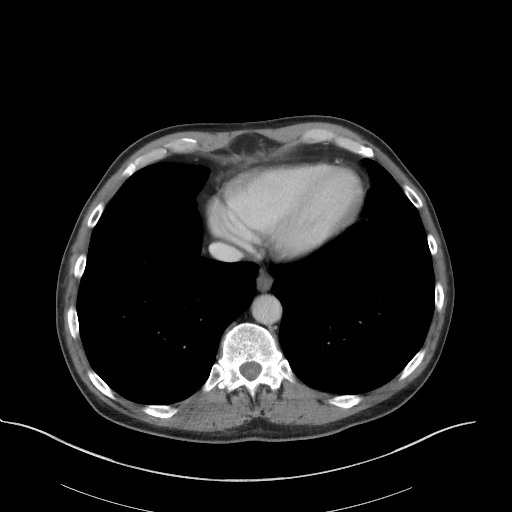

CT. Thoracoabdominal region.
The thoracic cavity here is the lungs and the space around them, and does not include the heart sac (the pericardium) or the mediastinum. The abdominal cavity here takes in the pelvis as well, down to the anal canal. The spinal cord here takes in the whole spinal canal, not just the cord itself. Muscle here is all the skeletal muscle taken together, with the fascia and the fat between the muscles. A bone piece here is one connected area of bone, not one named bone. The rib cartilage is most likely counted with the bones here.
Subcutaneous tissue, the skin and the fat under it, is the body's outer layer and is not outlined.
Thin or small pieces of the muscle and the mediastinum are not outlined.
The torso is outlined by 304 114; 342 117; 375 133; 397 154; 431 200; 451 260; 455 299; 441 355; 425 383; 404 404; 382 417; 306 440; 188 442; 132 430; 98 414; 78 389; 62 355; 55 326; 55 290; 61 258; 74 224; 107 168; 131 143; 167 126. The thoracic cavity appears in 2 outlined pieces: piece 1: 161 161; 201 165; 209 169; 193 200; 202 227; 199 255; 225 263; 252 262; 257 265; 257 274; 254 295; 248 306; 224 329; 219 356; 200 388; 176 403; 143 404; 114 391; 92 368; 80 337; 76 306; 92 231; 106 206; 126 179; piece 2: 366 158; 375 160; 390 174; 419 214; 431 256; 434 309; 421 347; 397 375; 363 393; 333 394; 312 388; 299 379; 280 347; 278 338; 283 306; 272 291; 275 278; 270 265; 299 262; 366 219; 363 211; 368 191; 372 188. The muscle is outlined by 303 122; 328 122; 329 123; 338 124; 346 127; 360 135; 364 139; 379 148; 388 156; 419 190; 425 200; 427 208; 440 240; 441 248; 443 253; 443 258; 445 263; 447 284; 448 285; 448 291; 447 292; 447 298; 448 299; 446 304; 443 325; 434 353; 425 368; 410 383; 388 398; 349 416; 335 421; 318 425; 301 425; 300 424; 298 425; 292 425; 291 424; 285 425; 284 424; 273 423; 262 418; 254 418; 242 425; 233 428; 229 428; 223 431; 218 430; 217 431; 205 432; 204 431; 186 430; 178 428; 170 428; 165 426; 159 426; 145 421; 142 421; 116 410; 99 399; 88 388; 81 379; 74 366; 71 356; 69 353; 69 350; 67 347; 66 338; 64 333; 63 310; 64 309; 64 295; 66 286; 65 278; 68 270; 69 259; 72 253; 71 252; 71 248; 77 237; 77 234; 83 218; 101 188; 108 179; 133 153; 149 142; 168 134; 181 131; 221 132; 222 131; 232 131; 233 130; 240 130; 249 128; 253 128; 254 129; 278 128 with a hole at 312 128; 371 148; 373 159; 422 202; 417 211; 425 233; 437 245; 431 262; 443 304; 439 312; 433 310; 419 364; 402 380; 396 375; 360 393; 362 399; 347 408; 330 404; 332 393; 296 376; 295 382; 283 379; 275 390; 259 384; 254 397; 244 385; 230 392; 200 388; 173 403; 178 411; 166 418; 144 412; 142 403; 115 391; 116 399; 102 393; 87 374; 92 367; 81 338; 70 333; 67 311; 77 305; 80 280; 74 267; 78 257; 88 253; 93 230; 88 218; 100 202; 106 206; 126 180; 121 174; 127 165; 176 138; 196 139; 197 148; 187 152; 201 153; 226 148; 247 132; 279 144; 304 144; 301 135. The mediastinum appears in 2 outlined pieces: piece 1: 182 153; 197 153; 219 164; 241 162; 219 172; 201 215; 210 238; 239 247; 258 264; 271 263; 271 291; 282 306; 277 339; 250 321; 237 323; 223 335; 251 303; 258 265; 200 255; 203 227; 194 200; 210 169; 201 164; 162 161; piece 2: 323 142; 328 144; 329 143; 333 144; 339 148; 365 158; 364 165; 370 180; 371 188; 368 190; 370 186; 364 172; 350 159; 333 154; 289 158; 279 157; 278 156; 279 154; 293 150; 296 146; 300 144; 315 144. The pericardium is outlined by 328 155; 353 162; 363 172; 369 186; 362 211; 363 218; 337 238; 299 261; 275 264; 271 262; 258 263; 248 258; 244 250; 239 246; 208 235; 202 213; 216 189; 217 177; 220 172; 233 169; 242 163; 260 159; 274 157; 289 159. The bones appear in 13 outlined pieces: piece 1: 243 322; 262 326; 276 338; 295 375; 295 382; 285 378; 275 390; 266 384; 259 384; 255 388; 254 397; 250 395; 244 385; 230 392; 217 386; 209 391; 202 391; 201 387; 208 378; 213 364; 220 356; 220 343; 223 336; 232 327 with a hole at 247 362; 255 362; 259 364; 261 367; 261 369; 259 373; 257 375; 257 376; 255 378; 253 379; 251 379; 250 380; 246 378; 241 373; 240 371; 240 367; 241 365; piece 2: 181 137; 190 137; 196 139; 198 142; 196 149; 181 153; 174 153; 169 151; 167 153; 166 157; 163 159; 150 163; 138 169; 127 178; 122 176; 121 174; 127 165; 137 157; 143 155; 153 149; 162 147; 167 142; 173 139; piece 3: 312 128; 324 128; 328 129; 333 131; 340 136; 350 138; 365 146; 371 148; 374 152; 374 156; 373 158; 364 157; 359 154; 339 147; 335 145; 331 141; 323 141; 315 143; 305 143; 302 142; 301 141; 301 135; 302 133; 304 131; piece 4: 147 404; 151 404; 152 405; 173 405; 175 407; 178 408; 178 411; 170 417; 167 417; 166 418; 163 418; 162 417; 158 417; 157 416; 150 415; 149 414; 144 412; 142 410; 142 408; 143 407; 143 406; 144 405; 146 405; piece 5: 348 394; 358 394; 362 397; 362 399; 357 404; 355 405; 353 405; 347 408; 344 408; 343 407; 340 407; 339 406; 337 406; 333 404; 330 404; 328 402; 328 399; 334 395; 347 395; piece 6: 89 369; 92 369; 111 388; 111 389; 114 392; 114 394; 115 395; 115 397; 116 398; 116 399; 112 399; 111 398; 110 398; 108 396; 105 395; 103 393; 102 393; 93 384; 93 383; 90 380; 90 379; 87 374; 87 371; piece 7: 421 348; 424 348; 425 349; 425 353; 424 354; 424 356; 423 358; 421 360; 419 364; 413 370; 413 371; 405 378; 404 378; 402 380; 399 380; 398 379; 398 374; 403 369; 403 368; 407 364; 407 363; 414 356; 414 355; piece 8: 72 305; 76 308; 76 311; 77 312; 77 318; 78 319; 78 323; 79 324; 79 337; 78 337; 75 339; 74 339; 72 337; 72 336; 70 333; 70 330; 69 329; 69 326; 68 325; 68 321; 67 320; 67 311; 68 310; 69 307; piece 9: 100 202; 102 202; 104 204; 105 207; 104 208; 104 209; 103 210; 103 211; 102 212; 100 217; 98 219; 96 224; 93 227; 93 228; 88 227; 87 226; 87 221; 88 220; 88 218; 89 217; 91 212; 93 210; 93 209; piece 10: 404 184; 406 184; 407 185; 408 185; 412 189; 413 189; 414 190; 414 191; 417 194; 417 195; 419 197; 419 198; 422 202; 422 206; 420 208; 417 209; 414 206; 414 205; 410 201; 410 200; 404 193; 404 192; 402 189; 402 186; piece 11: 436 282; 439 282; 441 284; 441 285; 442 286; 442 288; 443 289; 443 304; 442 305; 442 307; 441 308; 441 310; 439 312; 438 312; 437 311; 436 311; 435 310; 435 304; 434 303; 434 289; 435 288; 435 283; piece 12: 83 253; 86 255; 86 263; 85 264; 85 268; 84 269; 84 271; 82 274; 82 276; 80 279; 78 279; 76 277; 75 277; 75 276; 74 275; 74 267; 75 266; 75 263; 76 262; 76 261; 77 260; 78 257; 81 254; 82 254; piece 13: 429 233; 430 234; 431 234; 433 236; 433 237; 436 242; 436 244; 437 245; 437 251; 436 252; 435 255; 434 255; 433 256; 432 256; 430 253; 430 251; 429 250; 429 247; 428 246; 428 243; 427 242; 427 234; 428 234. The spinal cord is outlined by 247 362; 255 362; 259 364; 261 367; 261 369; 259 373; 257 375; 257 376; 255 378; 253 379; 251 379; 250 380; 246 378; 241 373; 240 371; 240 367; 241 365. The abdominal cavity is outlined by 247 132; 250 132; 253 134; 259 134; 279 144; 291 141; 298 141; 299 142; 293 149; 279 153; 277 156; 260 158; 245 162; 242 162; 240 160; 234 160; 219 163; 198 153; 208 152; 219 148; 226 148; 229 142; 233 138; 239 134.